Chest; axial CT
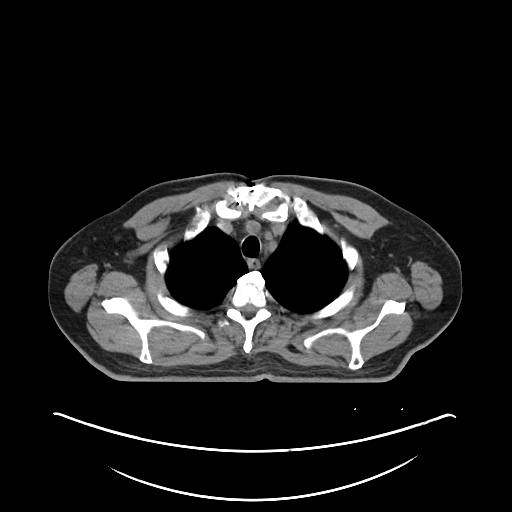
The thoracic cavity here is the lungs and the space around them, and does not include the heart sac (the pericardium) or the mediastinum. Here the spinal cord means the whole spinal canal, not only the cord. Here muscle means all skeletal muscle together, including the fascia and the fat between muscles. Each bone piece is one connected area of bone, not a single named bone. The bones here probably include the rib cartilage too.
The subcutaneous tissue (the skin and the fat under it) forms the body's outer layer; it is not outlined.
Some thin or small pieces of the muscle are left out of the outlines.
Outlines (x, y in pixels):
mediastinum: 250 214; 254 214; 261 219; 270 222; 284 222; 289 217; 295 220; 287 227; 277 247; 267 258; 260 270; 255 269; 249 270; 246 262; 240 253; 236 241; 231 236; 223 232; 216 225; 210 224; 212 220; 216 218; 234 220; 245 217
torso: 214 172; 236 172; 250 179; 299 174; 347 180; 369 187; 412 212; 441 234; 459 259; 462 297; 455 316; 395 377; 381 383; 274 383; 266 378; 255 382; 131 382; 109 377; 71 344; 51 314; 48 271; 53 255; 84 225; 144 188
bones 1: 242 183; 263 183; 280 189; 291 198; 302 198; 328 228; 329 235; 320 234; 301 225; 291 207; 284 221; 261 218; 262 209; 257 206; 252 212; 244 206; 243 213; 238 218; 219 217; 215 212; 214 203; 224 197; 229 186; 235 187
bones 2: 254 270; 260 272; 265 288; 286 310; 281 311; 276 305; 272 306; 272 315; 255 326; 251 339; 252 347; 246 353; 243 349; 245 339; 243 327; 231 319; 228 320; 228 325; 222 327; 217 322; 227 317; 225 314; 227 295; 237 279, around a hole outlined by 246 304; 251 304; 252 305; 253 305; 254 306; 255 306; 257 308; 257 310; 255 312; 255 313; 251 317; 249 317; 248 318; 247 318; 246 317; 245 317; 242 314; 242 313; 241 312; 241 308; 243 306; 244 306
bones 3: 111 297; 125 298; 140 318; 158 318; 190 325; 201 330; 204 333; 204 337; 201 338; 193 332; 179 330; 166 325; 154 326; 147 335; 152 363; 144 363; 138 358; 142 347; 142 341; 138 332; 123 315; 108 313; 102 306; 101 301
bones 4: 388 299; 404 301; 405 309; 400 314; 386 314; 374 328; 363 336; 359 346; 364 362; 360 368; 355 370; 348 368; 351 347; 347 338; 341 334; 333 333; 321 336; 309 348; 303 344; 306 337; 327 328; 342 327; 352 331; 372 324
bones 5: 352 285; 354 285; 354 293; 353 294; 353 297; 352 299; 348 304; 340 309; 336 313; 333 315; 331 315; 327 317; 323 317; 322 318; 318 318; 317 319; 312 319; 308 316; 311 313; 315 312; 327 305; 336 297; 337 297; 343 291
bones 6: 196 206; 199 206; 202 208; 205 206; 207 206; 208 207; 210 211; 210 214; 211 215; 209 223; 208 225; 201 232; 200 232; 192 239; 184 241; 183 240; 184 232; 187 228; 189 228; 192 226; 192 219; 196 211; 195 210
bones 7: 157 292; 161 292; 163 295; 171 297; 179 303; 185 306; 188 306; 190 308; 191 308; 191 315; 183 317; 182 316; 179 316; 178 315; 174 315; 170 313; 168 311; 167 311; 159 303; 157 299; 157 297; 156 296
bones 8: 342 237; 345 239; 346 242; 348 244; 350 245; 352 245; 358 251; 358 253; 359 254; 359 261; 356 264; 355 267; 350 271; 348 269; 347 267; 347 264; 342 256; 342 251; 341 250; 341 248; 340 246; 338 244; 338 242; 339 240
bones 9: 164 245; 165 245; 167 247; 167 250; 168 251; 168 254; 169 255; 169 262; 167 265; 167 268; 166 269; 166 271; 163 277; 160 274; 160 273; 158 271; 155 265; 152 253; 153 252; 153 250; 156 247; 160 247; 161 248; 162 246
spinal cord: 246 304; 251 304; 252 305; 253 305; 254 306; 255 306; 257 308; 257 310; 255 312; 255 313; 251 317; 249 317; 248 318; 247 318; 246 317; 245 317; 242 314; 242 313; 241 312; 241 308; 243 306; 244 306
thoracic cavity 1: 296 220; 301 226; 310 228; 320 235; 327 235; 335 242; 340 248; 341 256; 348 270; 347 277; 340 293; 327 304; 310 313; 299 313; 295 311; 291 311; 279 304; 277 300; 266 288; 265 279; 260 271; 268 258; 278 247; 288 227
thoracic cavity 2: 209 225; 216 226; 223 233; 231 237; 235 241; 239 253; 245 262; 248 271; 236 279; 235 284; 229 290; 226 295; 226 298; 220 304; 207 309; 196 309; 185 305; 173 298; 170 295; 164 277; 170 262; 170 251; 181 242; 192 240
muscle: 220 180; 244 182; 229 185; 213 203; 218 217; 210 222; 209 207; 196 205; 182 241; 169 252; 165 244; 152 250; 170 296; 161 291; 155 296; 170 314; 189 317; 192 309; 207 310; 226 299; 226 317; 216 324; 222 328; 229 320; 238 323; 248 354; 256 326; 273 315; 273 306; 317 320; 350 303; 355 285; 342 289; 360 261; 359 251; 342 236; 336 243; 305 199; 267 185; 273 181; 348 195; 373 207; 391 224; 359 245; 367 279; 372 282; 385 272; 406 274; 411 263; 426 262; 442 278; 440 304; 414 323; 405 341; 363 366; 364 336; 386 315; 406 309; 404 300; 388 298; 368 325; 352 330; 327 327; 302 340; 309 349; 321 337; 345 337; 348 369; 302 366; 264 354; 206 365; 146 367; 141 362; 153 363; 148 335; 154 327; 201 339; 205 333; 190 324; 140 317; 125 297; 111 296; 103 298; 101 306; 128 321; 141 347; 137 358; 104 350; 65 301; 70 276; 90 263; 102 271; 141 276; 145 256; 123 222; 159 197